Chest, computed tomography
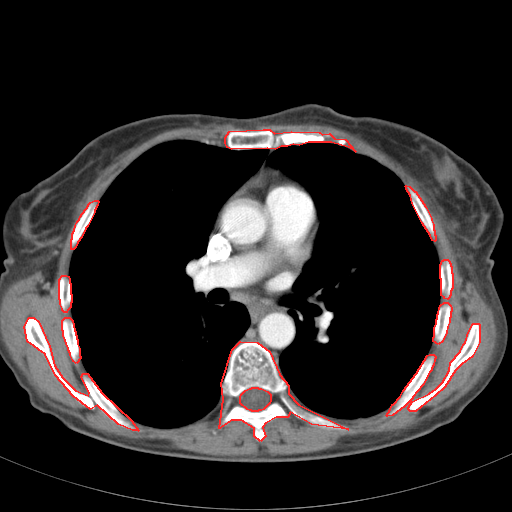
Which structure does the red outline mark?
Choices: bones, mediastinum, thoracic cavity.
red: bones.
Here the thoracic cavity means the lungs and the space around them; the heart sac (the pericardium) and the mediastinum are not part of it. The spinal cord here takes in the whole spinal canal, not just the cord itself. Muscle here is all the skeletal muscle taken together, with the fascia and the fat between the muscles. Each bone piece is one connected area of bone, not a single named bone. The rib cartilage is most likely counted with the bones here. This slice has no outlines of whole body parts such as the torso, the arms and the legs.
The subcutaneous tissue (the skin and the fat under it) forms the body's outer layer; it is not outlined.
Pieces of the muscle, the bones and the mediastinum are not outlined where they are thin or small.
Outlines:
bones 1: (240, 341) (257, 342) (269, 351) (279, 374) (288, 385) (288, 393) (298, 404) (348, 429) (311, 424) (290, 412) (287, 417) (276, 417) (265, 423) (262, 427) (265, 436) (260, 441) (254, 436) (254, 428) (241, 420) (231, 420) (219, 428) (223, 399) (221, 383) (232, 349) with a hole at (252, 387) (257, 387) (258, 388) (261, 388) (267, 391) (270, 394) (270, 401) (269, 403) (263, 409) (261, 410) (258, 410) (257, 411) (252, 411) (251, 410) (249, 410) (247, 409) (240, 403) (240, 396) (241, 394) (245, 390) (249, 388) (251, 388)
bones 2: (29, 317) (33, 317) (38, 321) (49, 346) (54, 365) (62, 377) (75, 390) (88, 395) (89, 393) (81, 376) (83, 373) (87, 373) (101, 392) (131, 420) (138, 430) (132, 430) (118, 424) (97, 405) (90, 409) (73, 396) (55, 375) (45, 354) (27, 341) (24, 326)
bones 3: (263, 129) (269, 129) (274, 133) (291, 131) (319, 132) (322, 134) (329, 133) (334, 138) (345, 139) (355, 151) (348, 147) (331, 142) (308, 142) (299, 145) (293, 144) (287, 146) (281, 146) (275, 149) (267, 148) (231, 149) (227, 147) (225, 143) (225, 137) (229, 131)
bones 4: (473, 323) (478, 323) (479, 324) (479, 342) (472, 356) (461, 364) (455, 370) (444, 387) (435, 395) (415, 411) (410, 411) (408, 409) (408, 407) (412, 401) (429, 393) (436, 388) (442, 382) (449, 370) (450, 362) (460, 351) (463, 344) (465, 342) (468, 332)
bones 5: (429, 354) (433, 354) (435, 356) (435, 358) (434, 359) (433, 365) (431, 368) (431, 370) (429, 372) (422, 385) (412, 397) (412, 398) (404, 406) (392, 415) (387, 416) (386, 415) (390, 409) (392, 404) (393, 404) (400, 396) (403, 390) (416, 373) (427, 355)
bones 6: (406, 185) (409, 186) (414, 191) (415, 191) (425, 206) (431, 218) (431, 220) (433, 224) (433, 229) (434, 230) (434, 234) (435, 235) (435, 240) (434, 241) (432, 240) (430, 235) (422, 223) (412, 203) (410, 195) (406, 189) (406, 187) (405, 186)
bones 7: (65, 317) (69, 317) (72, 320) (74, 330) (75, 331) (75, 334) (76, 335) (76, 338) (77, 339) (77, 344) (79, 348) (79, 355) (80, 356) (80, 358) (76, 363) (73, 361) (70, 355) (70, 353) (68, 350) (68, 348) (63, 335) (63, 331) (62, 330) (62, 320)
bones 8: (444, 302) (447, 302) (450, 305) (451, 307) (451, 311) (450, 312) (450, 317) (449, 318) (449, 322) (447, 326) (446, 332) (442, 341) (438, 344) (433, 341) (433, 337) (434, 336) (434, 328) (436, 323) (436, 319) (437, 318) (437, 314) (438, 313) (439, 307) (440, 305)
bones 9: (94, 200) (97, 200) (98, 201) (97, 205) (94, 210) (94, 212) (87, 226) (85, 228) (81, 237) (77, 242) (75, 247) (73, 249) (71, 249) (71, 239) (72, 238) (72, 233) (74, 230) (75, 225) (77, 221) (79, 219) (80, 216) (88, 205) (88, 204) (90, 202)
bones 10: (444, 259) (447, 259) (449, 261) (449, 262) (450, 263) (450, 265) (451, 266) (451, 272) (452, 273) (452, 288) (450, 291) (450, 295) (449, 296) (449, 297) (447, 299) (444, 298) (444, 297) (441, 295) (441, 279) (440, 278) (440, 264) (441, 263) (442, 260) (443, 260)
bones 11: (62, 275) (66, 275) (68, 276) (69, 278) (69, 282) (70, 283) (70, 293) (71, 294) (71, 302) (70, 303) (70, 307) (67, 310) (66, 312) (64, 312) (62, 310) (62, 308) (60, 304) (60, 300) (59, 299) (59, 279)
thoracic cavity: (178, 139) (267, 157) (331, 143) (400, 180) (435, 248) (440, 299) (427, 354) (391, 405) (342, 419) (289, 393) (286, 299) (320, 217) (305, 186) (265, 159) (219, 208) (201, 257) (207, 291) (249, 317) (218, 404) (155, 427) (102, 392) (72, 319) (73, 252) (112, 182)
spinal cord: (252, 387) (257, 387) (258, 388) (261, 388) (267, 391) (270, 394) (270, 401) (269, 403) (263, 409) (261, 410) (258, 410) (257, 411) (252, 411) (251, 410) (249, 410) (247, 409) (240, 403) (240, 396) (241, 394) (245, 390) (249, 388) (251, 388)
mediastinum: (264, 160) (307, 191) (262, 168) (223, 205) (211, 244) (219, 265) (248, 286) (275, 291) (301, 270) (292, 285) (294, 294) (285, 299) (295, 337) (279, 355) (278, 365) (261, 343) (238, 341) (250, 324) (246, 307) (238, 301) (223, 303) (208, 291) (201, 273) (220, 208)
pericardium: (262, 169) (273, 170) (282, 179) (301, 186) (314, 202) (319, 223) (309, 259) (291, 281) (280, 283) (277, 286) (279, 288) (269, 291) (259, 284) (246, 284) (229, 269) (220, 265) (218, 260) (219, 252) (212, 244) (212, 238) (217, 232) (216, 224) (222, 208) (232, 196)
muscle: (211, 123) (229, 123) (238, 127) (253, 127) (261, 123) (307, 123) (331, 126) (354, 134) (378, 150) (387, 154) (415, 178) (418, 182) (420, 189) (427, 197) (433, 209) (443, 222) (445, 231) (457, 255) (456, 258) (461, 273) (466, 280) (474, 278) (478, 282) (481, 293) (484, 296) (485, 300) (491, 306) (494, 314) (497, 329) (497, 344) (495, 347) (495, 352) (492, 361) (484, 374) (469, 391) (450, 406) (423, 420) (417, 425) (406, 430) (402, 430) (398, 434) (390, 435) (387, 437) (381, 435) (371, 437) (357, 437) (353, 440) (346, 440) (343, 442) (343, 445) (337, 447) (312, 452) (283, 455) (212, 455) (183, 449) (145, 445) (138, 441) (133, 441) (120, 436) (114, 436) (100, 432) (85, 424) (80, 419) (52, 407) (38, 396) (9, 355) (1, 339) (0, 300) (7, 286) (13, 281) (26, 277) (37, 270) (40, 270) (47, 280) (51, 282) (53, 281) (57, 269) (59, 253) (61, 250) (59, 244) (64, 240) (73, 222) (73, 217) (77, 203) (83, 197) (86, 190) (95, 180) (99, 173) (114, 162) (120, 155) (127, 150) (166, 130) (182, 127) (194, 127) (201, 124) with holes at (263, 129) (343, 138) (419, 196) (433, 224) (438, 261) (447, 259) (452, 273) (450, 295) (439, 300) (451, 307) (449, 322) (442, 341) (431, 342) (427, 354) (435, 358) (424, 382) (390, 416) (390, 405) (369, 416) (329, 417) (348, 427) (340, 430) (289, 412) (265, 423) (260, 441) (247, 422) (231, 420) (218, 427) (222, 396) (203, 417) (167, 428) (132, 419) (138, 430) (132, 430) (97, 405) (84, 406) (61, 383) (45, 354) (27, 341) (24, 328) (29, 317) (38, 321) (57, 371) (75, 390) (89, 394) (81, 376) (88, 372) (80, 358) (73, 361) (63, 335) (62, 320) (72, 318) (71, 308) (64, 312) (59, 299) (59, 279) (69, 275) (72, 233) (80, 216) (134, 160) (160, 143) (202, 137) (224, 142) (231, 130) and at (473, 323) (478, 323) (479, 324) (479, 342) (472, 356) (461, 364) (455, 370) (444, 387) (435, 395) (415, 411) (410, 411) (408, 409) (408, 407) (412, 401) (429, 393) (436, 388) (442, 382) (449, 370) (450, 362) (460, 351) (463, 344) (465, 342) (468, 332)